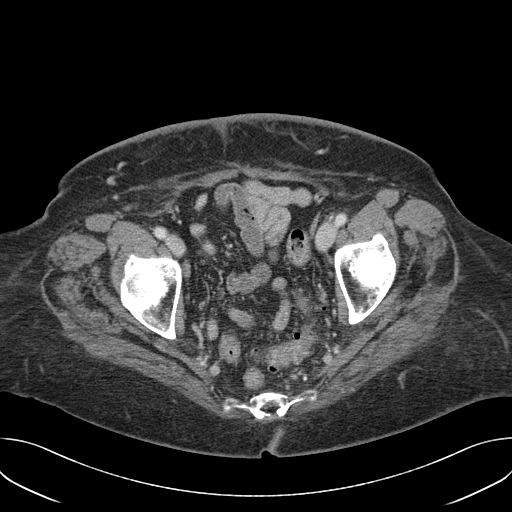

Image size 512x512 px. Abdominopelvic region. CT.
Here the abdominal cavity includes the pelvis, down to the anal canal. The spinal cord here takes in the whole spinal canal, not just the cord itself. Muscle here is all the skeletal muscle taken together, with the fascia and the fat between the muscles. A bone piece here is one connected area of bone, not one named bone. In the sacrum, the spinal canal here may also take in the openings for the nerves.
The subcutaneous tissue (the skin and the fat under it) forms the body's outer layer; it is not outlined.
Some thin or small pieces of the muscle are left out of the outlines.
{"torso":[[[247,112],[317,117],[391,140],[431,165],[468,219],[511,242],[511,397],[479,400],[405,431],[336,450],[287,457],[263,451],[260,458],[236,458],[146,442],[94,425],[31,397],[0,392],[0,232],[38,218],[55,195],[62,175],[110,144],[170,123]]],"spinal_cord":[[[274,407],[276,407],[272,411],[271,411],[270,410],[264,410],[263,409],[263,408],[265,408],[266,409],[271,409],[272,408],[273,408]]],"bones":[[[132,252],[140,257],[170,256],[176,259],[181,266],[182,269],[181,292],[177,302],[175,312],[174,326],[175,327],[176,337],[174,339],[167,339],[146,327],[124,307],[120,300],[119,284],[123,276],[123,267],[129,254]],[[377,231],[381,232],[387,240],[389,249],[395,259],[396,262],[395,278],[387,293],[377,306],[361,321],[355,324],[349,324],[348,323],[348,308],[346,304],[346,301],[341,288],[336,281],[336,276],[333,263],[333,253],[335,249],[343,244],[369,240]],[[306,389],[315,389],[317,391],[316,399],[314,401],[303,400],[293,403],[281,417],[275,415],[271,418],[265,417],[258,420],[244,408],[232,408],[227,412],[223,410],[223,402],[228,397],[246,402],[252,396],[263,392],[279,392],[291,398]]],"muscle":[{"outer":[[247,166],[305,171],[339,178],[359,188],[391,186],[414,192],[435,205],[445,216],[446,227],[457,253],[460,277],[451,293],[445,327],[431,343],[397,361],[343,399],[311,412],[307,420],[276,420],[249,428],[236,419],[224,419],[210,413],[170,387],[141,373],[86,355],[79,345],[62,334],[58,319],[47,309],[40,285],[49,244],[63,234],[78,215],[114,212],[135,202],[151,203],[154,195],[188,179],[223,168]],"hole":[[239,174],[310,184],[329,181],[337,199],[365,199],[337,232],[333,249],[369,240],[379,231],[396,262],[387,293],[355,324],[348,323],[346,301],[335,282],[339,336],[325,361],[283,392],[291,398],[315,389],[316,399],[293,403],[281,417],[259,420],[244,408],[223,410],[228,397],[241,402],[250,398],[186,336],[181,292],[174,339],[142,324],[119,295],[130,253],[174,257],[154,235],[151,222],[171,213],[182,192]]}],"abdominal_cavity":[[[239,174],[310,184],[329,181],[337,199],[366,200],[333,240],[339,336],[325,361],[313,366],[307,379],[295,387],[250,397],[238,391],[229,377],[220,375],[194,339],[186,336],[183,269],[170,248],[154,235],[151,224],[172,212],[182,192],[210,187]]]}